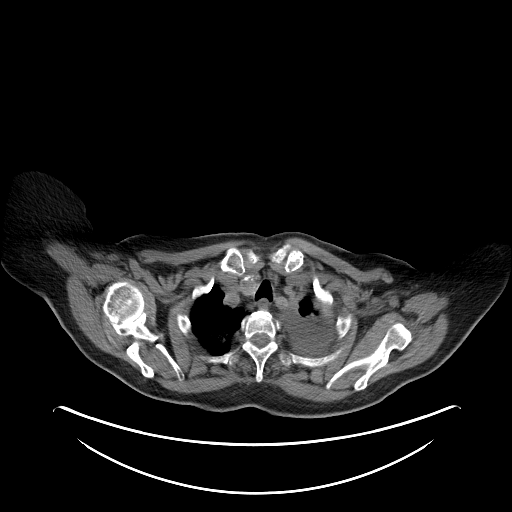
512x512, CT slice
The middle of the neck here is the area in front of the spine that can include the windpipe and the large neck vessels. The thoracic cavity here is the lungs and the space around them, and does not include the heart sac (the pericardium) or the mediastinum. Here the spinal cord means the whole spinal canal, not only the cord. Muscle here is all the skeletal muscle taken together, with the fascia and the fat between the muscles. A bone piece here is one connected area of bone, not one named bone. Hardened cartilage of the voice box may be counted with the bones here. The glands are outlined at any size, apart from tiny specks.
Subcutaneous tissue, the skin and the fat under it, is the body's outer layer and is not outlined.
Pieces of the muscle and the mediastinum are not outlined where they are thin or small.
The middle of the neck is outlined by [[305,280],[309,281],[312,288],[313,296],[316,301],[332,310],[335,316],[336,344],[332,350],[326,354],[311,356],[291,351],[285,345],[284,338],[282,334],[280,333],[282,328],[281,322],[279,319],[275,317],[282,312],[287,307],[287,305],[296,298]]. The thyroid glands appear in 2 outlined pieces: piece 1: [[257,272],[260,273],[260,279],[254,285],[254,288],[252,291],[252,293],[251,295],[249,296],[246,296],[243,293],[241,292],[240,290],[240,286],[239,285],[239,282],[240,280],[246,275],[248,274],[253,274]]; piece 2: [[267,270],[273,270],[274,271],[274,272],[276,274],[277,274],[277,275],[278,276],[278,283],[277,284],[276,284],[276,283],[275,282],[274,282],[272,280],[272,279],[270,277],[270,276],[269,275],[269,274],[268,273],[268,272],[267,271]]. The right arm is outlined by [[27,169],[39,169],[51,173],[72,188],[83,200],[86,215],[94,231],[102,237],[116,241],[122,239],[145,270],[151,285],[151,298],[147,309],[136,323],[113,330],[74,329],[60,325],[41,297],[20,284],[4,270],[2,233],[6,202],[15,174]]. The spinal cord is outlined by [[256,334],[265,334],[268,337],[268,338],[269,339],[269,340],[267,342],[267,343],[265,345],[264,345],[261,347],[259,347],[258,346],[257,346],[255,344],[254,344],[252,342],[252,341],[251,340],[251,339],[252,338],[252,337],[254,335],[255,335]]. The left arm is outlined by [[491,236],[502,237],[507,240],[509,246],[508,281],[502,293],[493,305],[476,324],[460,346],[438,346],[413,336],[405,328],[399,315],[399,301],[401,292],[412,270],[415,267],[421,269],[439,264],[444,259],[454,256],[458,252],[468,248],[478,241]]. The thoracic cavity is outlined by [[214,284],[218,284],[223,291],[224,296],[222,302],[226,306],[233,308],[242,307],[246,312],[249,313],[246,314],[241,319],[239,331],[234,336],[230,349],[217,355],[210,354],[199,343],[192,331],[192,323],[189,316],[194,302],[202,295],[209,293]]. The mediastinum is outlined by [[266,266],[273,269],[266,271],[276,285],[279,276],[275,271],[282,275],[303,275],[295,298],[282,311],[274,316],[265,308],[248,312],[242,306],[223,302],[225,293],[219,284],[224,279],[245,275],[238,285],[240,292],[249,297],[261,279],[258,271]]. The bones appear in 10 outlined pieces: piece 1: [[119,281],[127,281],[140,290],[144,299],[145,325],[161,335],[155,342],[161,343],[179,366],[183,374],[180,378],[154,342],[138,340],[142,359],[153,369],[152,378],[143,376],[139,366],[127,355],[126,349],[134,338],[120,336],[102,311],[108,286]]; piece 2: [[259,309],[270,312],[281,325],[280,346],[265,361],[263,377],[260,382],[257,382],[255,378],[256,364],[254,360],[240,348],[237,351],[238,359],[232,365],[209,363],[200,357],[201,355],[221,355],[237,347],[240,342],[240,334],[238,333],[242,319]] with a hole at [[256,334],[265,334],[268,337],[268,338],[269,339],[269,340],[267,342],[267,343],[265,345],[264,345],[261,347],[259,347],[258,346],[257,346],[255,344],[254,344],[252,342],[252,341],[251,340],[251,339],[252,338],[252,337],[254,335],[255,335]]; piece 3: [[396,322],[402,323],[411,331],[412,339],[404,349],[393,349],[389,353],[387,363],[369,377],[367,386],[364,389],[356,391],[353,385],[365,371],[365,366],[354,367],[346,371],[338,377],[328,389],[326,388],[327,382],[345,364],[373,352],[387,330]]; piece 4: [[230,247],[236,247],[243,253],[244,253],[247,249],[251,249],[256,253],[260,254],[261,257],[256,263],[252,264],[247,262],[245,264],[245,272],[242,275],[238,275],[235,273],[232,273],[228,271],[222,271],[220,269],[218,264],[220,259]]; piece 5: [[286,243],[290,243],[293,246],[295,246],[299,248],[304,254],[304,262],[302,266],[297,270],[295,271],[292,271],[288,273],[285,271],[282,263],[280,264],[275,263],[271,261],[268,257],[268,255],[270,252],[272,252],[276,250],[279,247],[282,246]]; piece 6: [[341,347],[343,348],[342,351],[336,359],[322,366],[317,366],[316,367],[309,367],[295,363],[292,363],[290,365],[286,366],[280,361],[278,357],[278,353],[282,350],[290,351],[293,353],[303,356],[319,357],[320,356],[330,354]]; piece 7: [[314,275],[316,275],[318,277],[319,282],[322,286],[322,287],[328,290],[332,295],[333,301],[329,306],[323,305],[321,303],[318,302],[314,296],[314,292],[313,291],[313,288],[312,287],[312,282],[313,281],[313,276]]; piece 8: [[348,312],[351,313],[353,316],[353,318],[352,319],[352,322],[351,323],[350,328],[348,330],[348,331],[346,333],[346,334],[342,338],[341,338],[340,339],[338,339],[337,338],[337,332],[336,331],[336,320],[337,319],[337,317],[338,316],[345,316]]; piece 9: [[212,276],[213,276],[214,278],[214,282],[209,292],[205,294],[202,294],[200,296],[199,296],[194,301],[193,301],[192,300],[191,295],[192,294],[192,291],[194,287],[199,284],[205,284],[210,279],[210,278]]; piece 10: [[177,313],[183,313],[184,314],[186,314],[189,317],[189,319],[190,320],[190,322],[191,323],[191,331],[192,332],[192,333],[190,333],[188,335],[185,335],[180,330],[180,329],[179,328],[179,327],[177,324],[177,322],[176,321],[176,315],[177,314]]. The muscle is outlined by [[289,237],[303,238],[362,270],[382,267],[391,273],[395,289],[439,289],[450,300],[448,332],[431,357],[368,386],[390,353],[404,350],[413,339],[412,331],[396,321],[373,351],[345,363],[326,382],[328,390],[346,372],[365,367],[352,385],[356,392],[328,402],[261,382],[281,334],[289,350],[277,353],[284,366],[322,367],[342,353],[342,346],[328,353],[354,318],[348,311],[336,319],[328,307],[333,295],[316,274],[311,284],[292,272],[303,266],[305,254],[290,242],[267,255],[287,274],[268,265],[244,274],[246,264],[256,264],[262,255],[230,246],[217,264],[238,276],[214,283],[212,275],[195,285],[189,315],[176,313],[179,330],[193,334],[209,354],[201,354],[202,360],[232,366],[240,349],[255,364],[256,382],[199,393],[173,391],[153,379],[139,340],[154,343],[179,379],[184,374],[156,342],[162,335],[146,325],[145,299],[136,285],[112,282],[101,311],[120,337],[133,338],[125,353],[139,372],[100,350],[80,330],[63,272],[47,252],[53,241],[126,255],[231,239],[270,245]]. The torso is outlined by [[285,231],[307,233],[355,253],[381,252],[406,261],[414,267],[399,296],[402,325],[420,341],[459,347],[437,369],[371,406],[294,418],[253,407],[214,412],[157,400],[86,358],[61,326],[113,331],[143,317],[152,285],[123,241],[128,236],[268,236]].